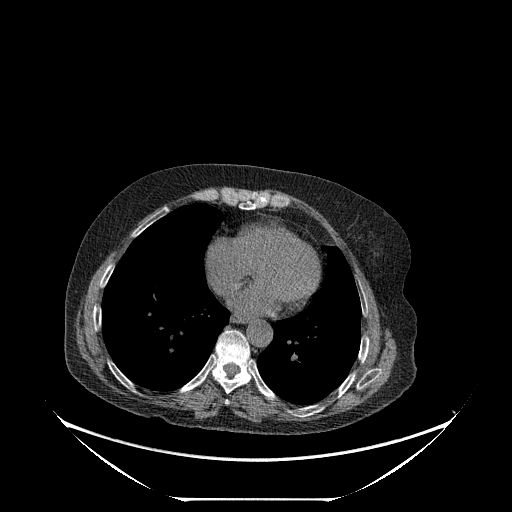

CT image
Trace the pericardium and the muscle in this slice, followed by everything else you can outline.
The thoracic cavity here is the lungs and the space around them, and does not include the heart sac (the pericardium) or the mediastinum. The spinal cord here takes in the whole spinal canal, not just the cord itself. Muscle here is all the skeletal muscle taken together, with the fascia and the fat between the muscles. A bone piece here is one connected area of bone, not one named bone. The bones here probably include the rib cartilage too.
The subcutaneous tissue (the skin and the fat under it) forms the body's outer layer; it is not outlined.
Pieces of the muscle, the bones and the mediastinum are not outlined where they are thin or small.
pericardium: 258 213; 280 216; 302 226; 313 236; 324 254; 323 276; 319 289; 312 296; 309 304; 306 307; 301 311; 287 317; 272 319; 267 317; 250 317; 233 313; 218 300; 207 283; 204 258; 210 242; 223 227; 227 226; 238 219; 249 217
muscle 1: 265 189; 284 192; 313 207; 323 215; 355 256; 372 289; 381 329; 389 329; 397 346; 397 357; 388 380; 365 402; 351 409; 308 421; 254 422; 236 415; 227 406; 222 407; 214 416; 198 419; 188 410; 147 404; 113 391; 82 358; 76 341; 75 322; 81 300; 87 292; 94 272; 133 229; 129 235; 133 239; 117 262; 111 258; 103 269; 98 280; 98 286; 103 290; 101 301; 93 304; 91 313; 93 329; 95 332; 101 331; 109 355; 105 363; 117 381; 130 392; 141 396; 142 393; 137 387; 139 386; 158 392; 177 390; 182 394; 210 379; 228 395; 236 388; 252 383; 268 400; 274 401; 278 397; 297 406; 286 407; 285 411; 291 416; 304 418; 323 411; 329 404; 323 401; 325 398; 331 394; 338 399; 353 384; 357 370; 352 367; 356 360; 360 365; 364 363; 370 347; 369 335; 365 331; 362 332; 362 317; 367 318; 369 310; 363 283; 358 276; 355 279; 342 250; 323 226; 304 211; 290 207; 292 199; 287 194; 272 193; inner edge: 375 367; 380 367; 383 369; 382 371; 382 373; 379 376; 379 377; 377 378; 374 381; 371 382; 368 385; 367 385; 361 390; 357 390; 356 389; 356 383; 357 381; 364 374; 365 372; 366 372; 369 369; 371 369
muscle 2: 192 192; 193 192; 190 195; 190 196; 193 200; 196 201; 192 201; 191 202; 189 202; 188 203; 186 203; 185 204; 180 205; 171 210; 169 206; 168 206; 166 204; 164 204; 172 200; 174 200; 181 196; 183 196; 184 195; 189 194
muscle 3: 161 206; 162 206; 159 209; 156 210; 152 214; 151 214; 150 215; 150 216; 143 223; 140 224; 138 226; 137 226; 135 228; 134 228; 137 225; 137 224; 140 220; 141 220; 145 216; 146 216; 148 214; 151 213; 157 208; 158 208
mediastinum 1: 207 202; 223 203; 244 211; 266 207; 295 208; 313 218; 323 227; 336 245; 327 245; 324 247; 326 253; 324 267; 325 254; 310 232; 302 225; 285 217; 263 212; 238 218; 230 222; 223 226; 210 241; 223 220; 224 215; 220 209
mediastinum 2: 230 312; 236 315; 241 315; 250 318; 267 318; 272 320; 277 320; 273 324; 273 337; 272 340; 255 359; 252 357; 251 355; 251 349; 250 348; 250 345; 247 340; 247 338; 241 331; 235 328; 224 329; 224 328; 229 323
torso: 193 163; 249 164; 315 175; 370 199; 400 224; 411 249; 403 293; 417 317; 417 372; 412 385; 399 398; 370 416; 330 431; 256 434; 186 427; 140 416; 98 397; 70 374; 64 358; 65 292; 87 229; 108 202; 135 180; 160 169
spinal cord: 230 363; 232 363; 238 367; 238 372; 237 372; 232 377; 228 377; 228 376; 227 375; 227 374; 226 373; 226 372; 224 369; 224 367; 225 366; 225 365; 226 365; 227 364; 229 364
bones 1: 230 329; 238 330; 246 338; 250 355; 256 362; 259 374; 267 386; 277 396; 276 399; 268 399; 252 382; 238 386; 227 394; 216 381; 210 378; 188 391; 182 393; 178 392; 178 389; 196 375; 203 367; 214 350; 218 336; 224 330; inner edge: 230 363; 232 363; 238 367; 238 372; 237 372; 232 377; 228 377; 228 376; 227 375; 227 374; 226 373; 226 372; 224 369; 224 367; 225 366; 225 365; 226 365; 227 364; 229 364
bones 2: 224 186; 231 187; 235 190; 246 189; 249 191; 258 192; 265 190; 272 194; 284 194; 291 199; 291 202; 286 207; 266 206; 244 210; 236 206; 221 202; 219 200; 195 200; 192 198; 191 195; 196 191; 202 191; 208 188; 220 189
bones 3: 108 357; 110 357; 112 361; 121 371; 121 372; 136 385; 136 387; 137 389; 141 393; 141 395; 138 395; 135 393; 133 393; 127 388; 126 388; 122 384; 121 384; 119 381; 118 381; 118 380; 110 371; 106 363; 106 359
bones 4: 321 401; 325 403; 328 403; 328 404; 323 410; 317 413; 315 413; 312 415; 309 415; 304 417; 298 417; 297 416; 291 415; 286 411; 286 408; 296 408; 301 406; 307 406; 308 405; 311 405
bones 5: 164 205; 166 205; 168 207; 169 207; 170 211; 168 213; 162 216; 160 218; 157 219; 136 237; 132 238; 130 236; 131 233; 134 230; 134 229; 135 229; 140 225; 143 224; 151 216; 151 215; 152 215; 156 211; 159 210
bones 6: 375 367; 380 367; 383 369; 382 371; 382 373; 379 376; 379 377; 377 378; 374 381; 371 382; 368 385; 367 385; 361 390; 357 390; 356 389; 356 383; 357 381; 364 374; 365 372; 366 372; 369 369; 371 369
bones 7: 352 370; 356 370; 356 377; 355 378; 355 380; 352 383; 352 384; 347 389; 347 390; 340 397; 339 397; 338 398; 335 398; 335 395; 334 394; 332 394; 332 392; 333 391; 334 391; 341 384; 341 383; 346 378; 346 377
bones 8: 364 332; 365 332; 368 335; 369 337; 369 347; 368 348; 368 352; 367 353; 367 355; 363 363; 360 364; 357 360; 357 355; 358 354; 358 352; 359 351; 359 348; 360 347; 360 342; 361 341; 361 336; 362 335; 362 333
bones 9: 357 277; 358 277; 360 279; 362 283; 364 291; 366 294; 366 297; 367 298; 367 303; 368 304; 367 317; 363 317; 362 316; 362 311; 361 310; 361 304; 360 303; 360 297; 359 296; 358 287; 356 284; 356 281; 355 280
bones 10: 111 259; 112 259; 115 262; 115 266; 113 269; 113 271; 112 272; 106 285; 104 287; 104 288; 103 289; 102 289; 101 288; 100 288; 100 287; 99 286; 99 280; 102 275; 102 273; 103 272; 104 269; 109 263; 109 262
bones 11: 96 303; 100 303; 100 306; 101 307; 101 330; 100 330; 99 331; 95 331; 95 330; 94 329; 94 324; 93 323; 93 317; 92 316; 92 313; 93 312; 93 306; 94 305; 94 304; 95 304
thoracic cavity 1: 197 201; 206 202; 220 210; 223 215; 207 245; 203 261; 207 286; 229 311; 228 323; 217 336; 213 350; 202 367; 188 381; 177 389; 169 391; 149 389; 137 385; 124 374; 108 352; 102 334; 103 292; 116 264; 135 238; 172 210
thoracic cavity 2: 327 246; 337 246; 341 250; 357 287; 361 311; 359 347; 351 370; 329 395; 320 401; 298 406; 285 401; 268 386; 260 374; 256 359; 273 340; 274 324; 278 320; 296 316; 310 305; 313 296; 320 289; 323 281; 327 259; 325 247